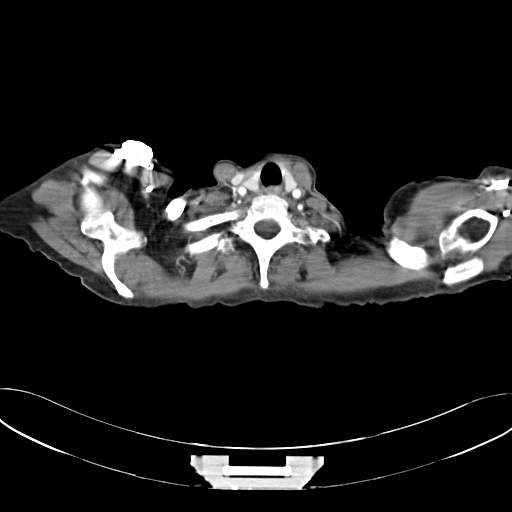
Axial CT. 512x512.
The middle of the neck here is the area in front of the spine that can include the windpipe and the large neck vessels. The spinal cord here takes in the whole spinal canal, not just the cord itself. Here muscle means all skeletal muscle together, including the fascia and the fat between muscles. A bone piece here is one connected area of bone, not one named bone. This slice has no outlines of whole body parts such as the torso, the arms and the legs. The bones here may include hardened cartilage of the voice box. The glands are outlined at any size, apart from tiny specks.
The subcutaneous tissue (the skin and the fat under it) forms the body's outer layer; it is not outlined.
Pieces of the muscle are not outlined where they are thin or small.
The bones appear in 6 outlined pieces: piece 1: 269,193 285,199 296,219 304,226 325,230 330,240 306,245 290,242 277,249 269,260 268,286 263,289 259,285 257,255 248,243 228,231 231,221 196,231 186,230 184,224 204,216 243,209 256,196 with a hole at 263,220 272,220 273,221 274,221 277,224 277,225 278,226 278,230 277,231 277,232 274,235 273,235 269,238 264,238 262,236 261,236 259,234 258,234 255,230 255,225 258,222 259,222 260,221 262,221; piece 2: 84,167 104,176 100,183 89,185 100,196 103,207 112,212 115,221 141,232 147,239 143,246 118,253 115,258 116,275 131,290 132,298 122,297 105,273 101,264 102,242 81,231 80,195 84,188 80,179; piece 3: 474,208 482,208 495,214 498,217 493,233 475,253 483,262 483,270 481,273 465,281 452,285 445,285 442,282 444,270 449,264 452,264 454,260 448,256 444,259 440,257 438,235 440,231 454,217 466,210; piece 4: 393,236 396,236 398,238 407,242 409,244 413,246 420,246 424,248 434,259 434,262 427,268 423,270 415,270 414,269 410,269 409,268 406,268 405,267 401,266 398,263 393,260 389,256 386,251 386,243; piece 5: 222,230 226,232 226,233 228,234 229,236 232,237 233,239 234,249 232,251 228,251 225,253 223,253 214,247 207,251 190,255 187,252 185,252 183,250 183,248 186,244 194,241 197,241 212,233 218,232; piece 6: 178,196 183,196 184,197 184,198 186,200 186,203 185,204 185,206 182,212 177,218 176,218 174,220 169,220 167,219 167,217 166,216 166,213 165,212 165,208 168,204 168,203 173,198 175,198. The muscle is outlined by 102,149 169,176 163,188 169,221 183,212 184,195 218,184 218,164 245,169 264,160 227,182 236,196 252,198 247,206 183,224 196,232 231,222 227,231 256,255 263,290 277,250 331,240 289,209 287,200 303,198 304,188 273,156 304,162 311,189 343,231 377,241 419,189 510,174 511,254 497,269 482,272 476,253 499,217 474,207 437,235 439,257 453,260 443,270 443,285 407,282 321,295 242,289 199,301 133,298 117,275 116,258 148,239 104,207 90,185 104,175 80,169 79,228 101,242 100,264 114,288 62,256 30,225 36,216 32,191, around holes outlined by 393,236 396,236 398,238 407,242 409,244 413,246 420,246 424,248 434,259 434,262 427,268 423,270 415,270 414,269 410,269 409,268 406,268 405,267 401,266 398,263 393,260 389,256 386,251 386,243 and by 222,230 226,232 226,233 228,234 229,236 232,237 233,239 234,249 232,251 228,251 225,253 223,253 214,247 207,251 190,255 187,252 185,252 183,250 183,248 186,244 194,241 197,241 212,233 218,232. The middle of the neck is outlined by 270,159 283,162 287,169 284,171 285,191 291,192 299,184 303,188 303,197 298,200 286,199 271,192 254,197 240,197 234,193 228,182 237,173 254,172 241,183 257,194 260,191 260,172 256,170 262,162. The spinal cord is outlined by 263,220 272,220 273,221 274,221 277,224 277,225 278,226 278,230 277,231 277,232 274,235 273,235 269,238 264,238 262,236 261,236 259,234 258,234 255,230 255,225 258,222 259,222 260,221 262,221. The thyroid glands appear in 2 outlined pieces: piece 1: 255,171 258,171 259,172 259,175 258,176 258,185 259,186 259,191 257,193 256,193 255,192 253,192 252,191 251,191 249,189 248,189 242,183 243,183 246,180 247,180 255,172; piece 2: 286,170 288,170 293,175 293,176 295,178 295,179 297,181 297,184 296,185 296,186 294,188 294,189 293,189 291,191 289,191 288,192 287,192 286,191 286,174 285,173 285,171.